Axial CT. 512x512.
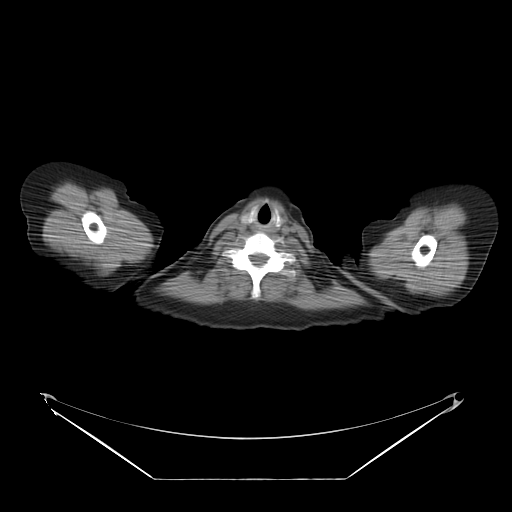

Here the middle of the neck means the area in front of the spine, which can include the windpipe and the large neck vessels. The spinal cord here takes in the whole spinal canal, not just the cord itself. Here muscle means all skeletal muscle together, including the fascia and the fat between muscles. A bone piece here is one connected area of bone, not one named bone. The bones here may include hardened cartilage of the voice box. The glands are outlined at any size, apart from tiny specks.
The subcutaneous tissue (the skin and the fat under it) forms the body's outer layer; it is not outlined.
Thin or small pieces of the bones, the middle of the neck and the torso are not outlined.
Outlined structures:
bones 1: 259 231; 272 239; 283 238; 284 244; 277 242; 275 246; 295 256; 296 260; 285 262; 284 267; 294 269; 296 273; 293 276; 267 273; 259 284; 260 295; 254 299; 249 274; 234 268; 231 259; 221 253; 241 247; 243 237; inner edge: 254 254; 263 254; 264 255; 265 255; 268 257; 267 258; 267 259; 266 260; 265 263; 264 263; 263 264; 262 264; 261 265; 258 266; 257 265; 255 265; 250 260; 250 259; 249 258; 249 255; 253 255
bones 2: 424 234; 431 234; 433 235; 437 241; 437 246; 436 247; 436 249; 435 250; 433 258; 431 260; 429 264; 423 268; 419 268; 415 265; 414 262; 411 259; 411 255; 410 254; 411 253; 411 251; 413 249; 417 241; 420 238; 420 237
bones 3: 87 210; 91 210; 95 212; 100 217; 103 223; 106 226; 107 234; 104 238; 103 242; 100 244; 96 244; 95 243; 90 243; 89 239; 86 233; 84 231; 84 229; 83 228; 83 226; 81 222; 81 217; 82 216; 82 214
head and neck: 267 181; 277 182; 285 187; 295 203; 301 209; 303 217; 313 233; 315 250; 309 268; 294 295; 285 304; 272 312; 263 315; 250 315; 232 307; 220 295; 210 277; 203 260; 201 253; 201 241; 209 225; 221 212; 240 199; 250 189
torso: 201 239; 200 253; 212 283; 219 295; 243 314; 263 316; 285 305; 304 280; 316 246; 333 262; 338 261; 356 285; 398 311; 388 314; 383 322; 365 321; 357 325; 295 331; 209 328; 142 310; 134 305; 129 286; 156 266; 172 262
left arm: 450 180; 475 181; 493 194; 499 208; 498 231; 484 267; 465 298; 452 307; 436 308; 412 316; 400 312; 356 284; 342 269; 339 252; 350 251; 356 258; 360 250; 362 229; 369 221; 391 219; 398 209; 408 203; 407 196; 413 191
middle of the neck: 264 199; 266 201; 269 200; 276 207; 274 209; 273 217; 275 225; 278 228; 284 220; 293 226; 293 232; 285 235; 274 235; 260 230; 255 232; 235 228; 234 222; 237 219; 239 219; 245 226; 251 223; 257 208; 254 205; 260 200
thyroid glands: 246 213; 247 213; 247 219; 248 220; 248 223; 247 224; 246 224; 245 225; 244 224; 243 224; 241 222; 241 221; 240 220; 240 218; 241 217; 241 216; 243 214; 245 214
spinal cord: 254 254; 263 254; 264 255; 265 255; 268 257; 267 258; 267 259; 266 260; 265 263; 264 263; 263 264; 262 264; 261 265; 258 266; 257 265; 255 265; 250 260; 250 259; 249 258; 249 255; 253 255
right arm: 57 159; 78 162; 122 180; 126 184; 127 193; 132 200; 157 212; 163 224; 163 235; 156 265; 144 276; 130 285; 109 293; 101 293; 86 288; 75 276; 32 251; 26 235; 26 219; 19 203; 20 187; 26 175; 36 165
muscle 1: 263 194; 278 198; 283 203; 306 231; 314 255; 324 262; 324 265; 341 284; 361 296; 367 306; 303 310; 282 302; 255 303; 236 300; 198 305; 152 291; 155 286; 182 270; 192 257; 205 249; 212 230; 226 215; 239 210; 257 195 with a hole at 266 198; 294 228; 285 235; 267 234; 272 239; 283 238; 284 244; 275 246; 295 256; 284 267; 296 273; 267 273; 259 284; 260 295; 254 299; 249 274; 234 268; 231 259; 221 253; 241 247; 243 237; 255 232; 237 229; 234 222
muscle 2: 66 179; 73 181; 87 181; 96 185; 112 188; 120 205; 135 214; 150 229; 154 238; 152 252; 141 263; 135 266; 116 270; 108 275; 98 275; 95 272; 85 269; 65 255; 51 250; 42 238; 42 224; 46 213; 47 198; 51 187 with a hole at 87 210; 91 210; 95 212; 100 217; 103 223; 106 226; 107 234; 104 238; 103 242; 100 244; 96 244; 95 243; 90 243; 89 239; 86 233; 84 231; 84 229; 83 228; 83 226; 81 222; 81 217; 82 216; 82 214
muscle 3: 450 202; 457 202; 460 204; 466 211; 470 221; 468 240; 470 258; 465 278; 460 287; 447 296; 435 298; 422 294; 412 294; 393 290; 373 278; 369 269; 368 252; 373 245; 381 240; 384 233; 400 225; 409 213; 418 206; 434 206; inner edge: 424 234; 431 234; 433 235; 437 241; 437 246; 436 247; 436 249; 435 250; 433 258; 431 260; 429 264; 423 268; 419 268; 415 265; 414 262; 411 259; 411 255; 410 254; 411 253; 411 251; 413 249; 417 241; 420 238; 420 237